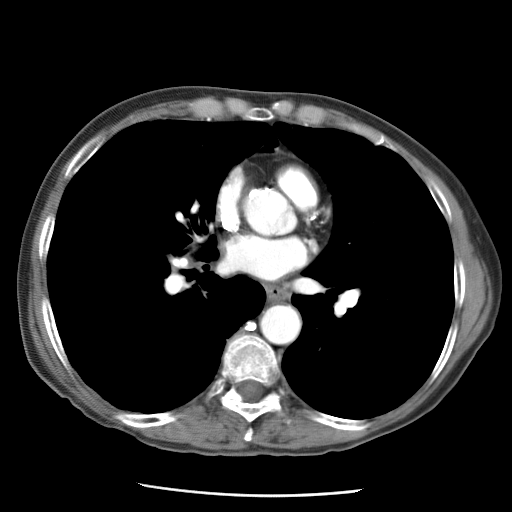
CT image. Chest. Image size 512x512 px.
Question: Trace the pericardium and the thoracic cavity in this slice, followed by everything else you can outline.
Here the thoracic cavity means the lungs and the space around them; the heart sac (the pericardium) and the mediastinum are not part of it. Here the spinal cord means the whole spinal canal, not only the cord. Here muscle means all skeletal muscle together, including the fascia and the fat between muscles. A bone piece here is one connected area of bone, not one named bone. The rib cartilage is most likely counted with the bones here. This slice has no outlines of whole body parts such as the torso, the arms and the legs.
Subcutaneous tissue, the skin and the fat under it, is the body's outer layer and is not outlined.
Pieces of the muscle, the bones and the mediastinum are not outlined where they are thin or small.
Answer: The pericardium is outlined by (274, 150) (298, 158) (307, 164) (315, 172) (329, 192) (333, 208) (330, 235) (325, 247) (307, 267) (281, 284) (262, 281) (247, 273) (239, 271) (230, 265) (224, 259) (220, 251) (213, 226) (218, 193) (229, 172) (235, 166) (254, 154) (262, 152) (270, 153). The thoracic cavity is outlined by (160, 118) (339, 128) (407, 162) (453, 250) (451, 322) (414, 393) (345, 418) (280, 381) (303, 326) (292, 296) (334, 215) (320, 174) (280, 139) (234, 165) (217, 193) (218, 257) (264, 301) (225, 340) (207, 390) (143, 413) (83, 380) (49, 298) (58, 207) (106, 141). The mediastinum appears in 3 outlined pieces: piece 1: (218, 247) (223, 259) (230, 266) (262, 282) (281, 285) (301, 272) (291, 296) (291, 303) (301, 315) (302, 326) (297, 338) (284, 351) (280, 362) (270, 344) (259, 335) (242, 332) (231, 337) (240, 326) (261, 311) (265, 301) (265, 291) (250, 277) (235, 274) (220, 259); piece 2: (279, 140) (280, 140) (280, 141) (285, 146) (286, 146) (286, 147) (289, 150) (290, 150) (296, 156) (297, 156) (298, 157) (296, 157) (293, 155) (290, 155) (289, 154) (286, 154) (279, 150) (274, 149) (274, 148) (275, 148) (278, 145) (278, 144) (279, 143); piece 3: (310, 166) (311, 166) (319, 174) (319, 175) (325, 183) (325, 184) (327, 187) (327, 189) (326, 186) (322, 182) (322, 181) (320, 179) (319, 176) (316, 173) (316, 172) (315, 171) (314, 171) (314, 170) (313, 169) (312, 169) (312, 168) (311, 167) (310, 167). The spinal cord is outlined by (245, 380) (253, 380) (254, 381) (256, 381) (260, 383) (262, 385) (263, 389) (264, 390) (263, 391) (263, 395) (262, 397) (258, 401) (255, 401) (254, 402) (248, 402) (247, 401) (244, 401) (243, 400) (242, 396) (238, 391) (238, 384) (240, 382) (244, 381). The bones appear in 11 outlined pieces: piece 1: (242, 333) (259, 336) (274, 351) (280, 368) (277, 383) (280, 384) (283, 381) (288, 387) (288, 393) (280, 399) (284, 415) (279, 415) (275, 412) (265, 412) (249, 423) (239, 413) (223, 408) (219, 402) (218, 395) (205, 400) (206, 392) (219, 374) (222, 356) (228, 341); inner edge: (245, 380) (253, 380) (254, 381) (256, 381) (260, 383) (262, 385) (263, 389) (264, 390) (263, 391) (263, 395) (262, 397) (258, 401) (255, 401) (254, 402) (248, 402) (247, 401) (244, 401) (243, 400) (242, 396) (238, 391) (238, 384) (240, 382) (244, 381); piece 2: (202, 98) (221, 101) (235, 98) (250, 106) (258, 107) (269, 107) (276, 101) (286, 100) (296, 106) (309, 105) (320, 108) (326, 113) (326, 118) (318, 126) (296, 123) (292, 115) (276, 115) (270, 120) (263, 121) (229, 115) (221, 119) (195, 118) (188, 109) (188, 103); piece 3: (119, 410) (126, 412) (136, 412) (143, 414) (161, 413) (162, 412) (166, 412) (172, 410) (177, 413) (179, 413) (180, 415) (175, 421) (169, 422) (162, 425) (156, 425) (155, 426) (149, 426) (148, 427) (133, 427) (124, 424) (121, 421) (116, 419) (114, 417) (114, 413); piece 4: (43, 296) (46, 296) (48, 297) (49, 299) (53, 317) (55, 321) (55, 325) (62, 346) (67, 356) (67, 358) (71, 366) (73, 368) (73, 370) (71, 371) (71, 373) (65, 368) (62, 362) (58, 357) (47, 333) (45, 324) (43, 320) (42, 311) (41, 310) (41, 300); piece 5: (312, 409) (339, 418) (344, 418) (345, 419) (366, 419) (369, 421) (371, 424) (367, 428) (362, 430) (347, 430) (346, 429) (339, 429) (338, 428) (335, 428) (329, 425) (326, 425) (317, 421) (312, 420) (309, 418) (307, 416) (308, 414) (307, 410) (311, 410); piece 6: (99, 134) (101, 134) (104, 136) (104, 138) (105, 139) (104, 140) (104, 142) (85, 162) (85, 163) (72, 176) (72, 177) (70, 179) (67, 179) (65, 178) (64, 176) (65, 172) (67, 169) (68, 165) (70, 163) (74, 155) (87, 141) (88, 141) (96, 135) (98, 135); piece 7: (340, 120) (346, 120) (352, 122) (357, 122) (362, 125) (369, 127) (377, 133) (380, 134) (381, 133) (383, 134) (397, 149) (398, 152) (393, 151) (391, 149) (385, 147) (383, 145) (375, 145) (368, 139) (357, 133) (340, 128) (337, 124); piece 8: (454, 321) (457, 323) (457, 332) (456, 333) (455, 340) (453, 344) (453, 347) (444, 366) (435, 379) (429, 384) (427, 382) (427, 379) (429, 377) (442, 351) (442, 349) (444, 346) (444, 344) (447, 337) (447, 334) (448, 333) (449, 328) (451, 325) (451, 323); piece 9: (49, 213) (53, 213) (55, 215) (55, 219) (54, 220) (53, 231) (52, 232) (51, 239) (49, 243) (49, 248) (48, 249) (48, 252) (47, 253) (47, 257) (46, 258) (46, 261) (43, 263) (39, 258) (39, 237) (41, 233) (41, 230) (42, 229) (43, 223) (47, 215); piece 10: (454, 257) (459, 258) (462, 261) (462, 263) (463, 264) (463, 268) (464, 269) (464, 274) (465, 275) (465, 287) (464, 288) (464, 296) (463, 297) (463, 301) (462, 302) (462, 304) (460, 308) (456, 308) (454, 307) (454, 304) (455, 303) (455, 299) (454, 298); piece 11: (427, 177) (430, 177) (432, 179) (433, 179) (433, 180) (437, 184) (437, 185) (443, 193) (448, 203) (448, 205) (449, 206) (449, 208) (451, 212) (451, 222) (450, 223) (447, 223) (444, 216) (442, 214) (436, 202) (434, 200) (431, 193) (429, 191) (425, 183) (425, 180). The muscle appears in 3 outlined pieces: piece 1: (384, 134) (433, 170) (449, 188) (463, 212) (475, 249) (485, 263) (493, 291) (492, 306) (479, 335) (438, 387) (405, 417) (364, 436) (341, 443) (297, 449) (257, 444) (250, 444) (242, 449) (209, 449) (188, 443) (154, 439) (102, 417) (62, 385) (44, 364) (37, 352) (28, 325) (32, 239) (47, 196) (60, 170) (73, 155) (63, 175) (69, 181) (62, 193) (56, 213) (49, 212) (46, 215) (38, 237) (38, 258) (46, 265) (48, 291) (48, 296) (41, 297) (40, 310) (50, 343) (64, 368) (70, 374) (74, 369) (89, 387) (116, 408) (118, 410) (113, 413) (116, 420) (133, 428) (148, 428) (172, 423) (181, 415) (174, 409) (206, 391) (205, 401) (218, 396) (218, 402) (223, 409) (239, 414) (250, 424) (265, 413) (284, 416) (281, 399) (289, 393) (289, 388) (312, 408) (306, 410) (306, 416) (312, 421) (339, 430) (367, 429) (372, 424) (368, 419) (401, 405) (426, 380) (429, 385) (439, 375) (454, 347) (458, 323) (452, 321) (452, 317) (454, 308) (462, 307) (466, 287) (463, 261) (454, 256) (448, 227) (452, 222) (452, 212) (444, 193) (430, 176) (427, 176) (424, 181) with a hole at (249, 426) (250, 426) (252, 428) (252, 429) (253, 430) (253, 433) (252, 434) (252, 436) (251, 437) (251, 440) (250, 441) (246, 441) (245, 440) (244, 440) (244, 435) (245, 434) (245, 433) (246, 432) (246, 431) (247, 430) (247, 429) (248, 428) (248, 427); piece 2: (209, 95) (235, 97) (227, 97) (223, 100) (202, 97) (189, 101) (186, 106) (194, 118) (161, 117) (159, 112) (152, 112) (133, 119) (130, 125) (124, 127) (105, 141) (105, 136) (101, 133) (93, 136) (101, 129) (123, 118) (134, 110) (162, 102) (177, 99) (192, 99); piece 3: (285, 99) (291, 99) (297, 103) (310, 103) (318, 106) (328, 107) (329, 108) (332, 108) (333, 109) (341, 111) (353, 117) (355, 119) (379, 130) (381, 132) (380, 133) (379, 132) (377, 132) (369, 126) (362, 124) (357, 121) (352, 121) (351, 120) (347, 120) (346, 119) (340, 119) (336, 123) (338, 127) (334, 127) (333, 126) (320, 126) (320, 125) (321, 125) (327, 118) (327, 113) (323, 109) (315, 105) (310, 105) (309, 104) (296, 105) (292, 101).